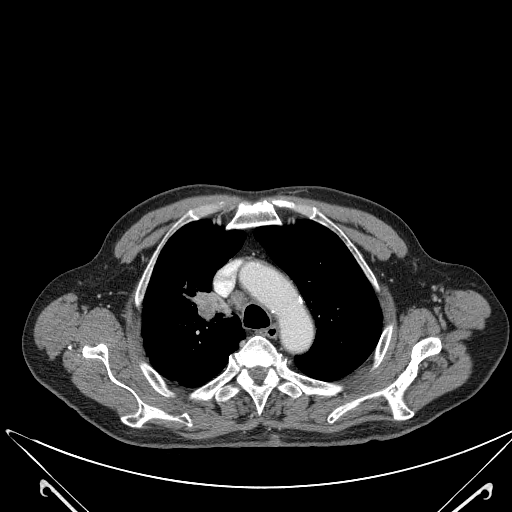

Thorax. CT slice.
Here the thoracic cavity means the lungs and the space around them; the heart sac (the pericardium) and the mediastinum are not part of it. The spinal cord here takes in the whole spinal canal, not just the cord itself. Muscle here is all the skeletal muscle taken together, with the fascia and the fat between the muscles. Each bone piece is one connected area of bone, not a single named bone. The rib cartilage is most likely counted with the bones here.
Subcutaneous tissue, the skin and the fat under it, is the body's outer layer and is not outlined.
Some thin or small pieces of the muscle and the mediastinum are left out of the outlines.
{"thoracic_cavity":[[[203,218],[209,218],[213,225],[223,227],[226,231],[244,230],[246,233],[241,247],[216,270],[210,291],[216,309],[224,317],[237,316],[245,335],[238,349],[229,354],[223,370],[192,388],[166,379],[149,363],[140,333],[140,313],[162,248],[180,228]],[[300,218],[306,218],[322,225],[343,242],[377,295],[382,312],[383,327],[372,353],[352,372],[336,381],[308,376],[288,364],[290,359],[306,353],[312,346],[316,336],[315,320],[296,283],[273,261],[253,232],[253,229],[262,226],[295,226],[300,222]]],"muscle":[{"outer":[[278,192],[355,207],[373,214],[395,230],[405,242],[408,252],[403,258],[392,255],[384,270],[398,314],[405,313],[410,307],[431,309],[441,304],[447,289],[473,290],[487,300],[491,308],[490,315],[484,327],[467,342],[473,362],[472,372],[459,387],[432,400],[415,414],[406,403],[404,395],[418,375],[419,364],[442,350],[441,338],[428,335],[413,344],[409,361],[389,384],[336,406],[326,416],[327,422],[333,424],[364,401],[383,397],[392,419],[400,421],[366,421],[331,433],[259,425],[212,438],[188,439],[161,429],[135,428],[141,428],[152,419],[183,423],[189,428],[193,421],[186,411],[174,415],[145,402],[130,386],[117,379],[111,370],[109,350],[105,343],[86,343],[81,354],[86,359],[100,360],[109,379],[135,398],[137,409],[119,417],[113,409],[81,393],[61,363],[49,360],[37,347],[33,329],[38,315],[50,302],[68,292],[75,293],[78,303],[87,310],[100,306],[118,315],[130,291],[133,276],[132,270],[114,256],[114,247],[123,233],[146,212],[197,194],[229,193],[256,199]],"hole":[[268,197],[317,207],[362,254],[379,284],[382,323],[393,323],[382,360],[370,370],[372,353],[336,381],[344,388],[333,396],[302,393],[292,398],[275,387],[261,415],[243,389],[220,403],[213,397],[192,400],[188,394],[193,388],[166,379],[176,395],[160,394],[139,367],[141,360],[149,360],[134,303],[137,283],[152,253],[189,209],[222,200],[225,206],[207,217],[220,215],[227,223],[239,201],[253,203]]}],"spinal_cord":[[[257,366],[259,366],[260,367],[263,367],[265,369],[266,369],[266,374],[265,375],[265,377],[263,379],[262,382],[259,384],[256,383],[254,381],[254,380],[250,376],[250,374],[249,373],[249,370],[250,369],[251,369],[254,367],[256,367]]],"mediastinum":[[[248,229],[252,229],[254,237],[272,261],[295,283],[314,320],[315,336],[311,346],[306,352],[293,358],[288,359],[261,334],[254,334],[243,341],[246,334],[238,316],[235,314],[224,316],[217,309],[211,295],[214,275],[242,247],[247,233],[245,230]]],"bones":[{"outer":[[254,335],[269,340],[295,371],[322,381],[341,382],[343,390],[333,396],[302,393],[292,398],[275,387],[268,395],[261,415],[257,414],[253,399],[243,389],[220,403],[213,397],[189,399],[188,394],[192,390],[221,373],[230,354],[239,349],[242,341]],"hole":[[257,366],[259,366],[260,367],[263,367],[265,369],[266,369],[266,374],[265,375],[265,377],[263,379],[262,382],[259,384],[256,383],[254,381],[254,380],[250,376],[250,374],[249,373],[249,370],[250,369],[251,369],[254,367],[256,367]]},[[268,197],[281,197],[292,201],[299,200],[313,205],[339,226],[362,254],[375,275],[380,288],[379,293],[375,292],[351,252],[333,231],[288,208],[276,208],[282,225],[262,225],[247,229],[226,230],[224,227],[234,215],[239,201],[253,203]],[[428,336],[439,337],[442,346],[438,353],[426,357],[418,364],[417,375],[404,392],[403,399],[414,412],[412,417],[404,420],[394,420],[385,398],[379,396],[364,400],[333,423],[328,422],[327,416],[336,407],[389,385],[407,366],[414,344]],[[99,343],[107,346],[110,370],[117,380],[130,387],[151,406],[174,416],[186,412],[192,425],[189,427],[183,422],[159,418],[152,418],[141,427],[122,423],[120,416],[135,412],[138,403],[129,390],[110,379],[100,359],[83,356],[84,345],[94,346]],[[219,200],[222,200],[225,205],[222,209],[210,214],[207,217],[203,217],[183,225],[170,236],[166,241],[157,256],[143,296],[141,310],[140,312],[138,311],[134,303],[134,294],[137,283],[152,253],[171,225],[189,209],[194,209],[205,203],[214,202]],[[141,360],[143,360],[147,362],[162,377],[163,377],[165,379],[169,387],[175,391],[176,393],[176,395],[175,397],[167,397],[166,396],[164,396],[160,394],[158,392],[157,392],[150,385],[150,384],[142,373],[142,371],[139,367],[139,363]],[[389,322],[392,322],[393,323],[393,329],[392,330],[392,334],[391,335],[391,339],[390,340],[389,345],[382,360],[378,366],[373,370],[370,370],[370,368],[373,361],[373,352],[378,343],[378,341],[380,338],[380,336],[384,326]]],"torso":[[[193,183],[242,190],[321,185],[385,206],[410,227],[430,256],[469,266],[490,286],[510,326],[497,367],[467,400],[430,423],[387,440],[306,447],[154,448],[110,437],[34,378],[22,354],[23,327],[43,288],[59,274],[88,262],[125,212],[157,193]]]}